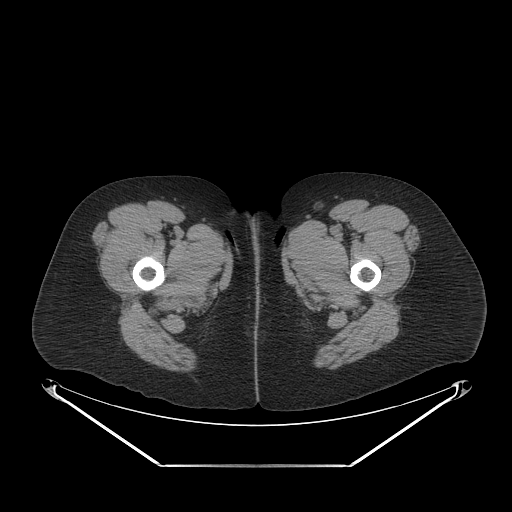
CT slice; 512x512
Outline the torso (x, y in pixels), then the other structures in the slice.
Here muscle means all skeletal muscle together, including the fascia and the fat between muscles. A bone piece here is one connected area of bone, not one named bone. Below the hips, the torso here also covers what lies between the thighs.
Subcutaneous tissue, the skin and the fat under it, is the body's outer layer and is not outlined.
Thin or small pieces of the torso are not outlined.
{"torso":[[[235,206],[238,209],[246,208],[251,212],[257,206],[265,206],[271,211],[276,213],[278,222],[278,234],[276,236],[277,242],[271,256],[269,267],[260,282],[257,290],[247,274],[235,242],[235,237],[233,232],[233,214]]],"muscle":[{"outer":[[355,198],[370,199],[394,205],[412,217],[419,230],[420,244],[414,262],[414,271],[400,296],[402,307],[400,333],[385,347],[357,361],[333,370],[316,368],[312,366],[311,359],[318,340],[284,280],[281,264],[281,248],[291,228],[330,209],[341,201]],"hole":[[361,258],[368,258],[372,260],[376,264],[377,264],[377,265],[381,269],[381,277],[380,278],[379,282],[371,290],[369,291],[364,291],[357,286],[356,286],[351,282],[350,278],[349,277],[349,273],[350,272],[350,267],[355,262],[358,261]]},{"outer":[[145,199],[171,202],[198,222],[214,226],[220,231],[233,255],[229,285],[220,294],[211,314],[213,316],[193,347],[200,361],[199,368],[191,372],[159,368],[130,351],[118,329],[120,298],[106,287],[97,268],[97,254],[91,238],[96,224],[110,209]],"hole":[[143,256],[152,256],[156,260],[159,261],[163,265],[164,267],[164,273],[165,274],[165,279],[164,281],[160,285],[157,286],[155,288],[149,291],[145,291],[138,287],[133,280],[133,278],[132,277],[132,269],[133,268],[133,266],[135,264],[135,263]]}],"left_leg":[[[338,171],[376,173],[401,179],[422,190],[440,207],[480,272],[487,303],[483,334],[475,354],[465,362],[435,367],[393,386],[336,405],[301,411],[266,410],[258,400],[258,289],[282,233],[281,230],[279,233],[276,212],[282,195],[295,182],[313,174]]],"right_leg":[[[169,174],[204,178],[220,187],[234,206],[234,242],[246,274],[257,291],[258,404],[252,408],[190,408],[159,398],[146,397],[82,371],[56,369],[44,361],[34,346],[31,336],[33,307],[60,233],[76,205],[90,192],[111,181],[132,176]]],"bones":[[[143,256],[152,256],[156,260],[159,261],[163,265],[164,267],[164,273],[165,274],[165,279],[164,281],[160,285],[157,286],[155,288],[149,291],[145,291],[138,287],[133,280],[133,278],[132,277],[132,269],[133,268],[133,266],[135,264],[135,263]],[[361,258],[368,258],[372,260],[376,264],[377,264],[377,265],[381,269],[381,277],[380,278],[379,282],[371,290],[369,291],[364,291],[357,286],[356,286],[351,282],[350,278],[349,277],[349,273],[350,272],[350,267],[355,262],[358,261]]]}